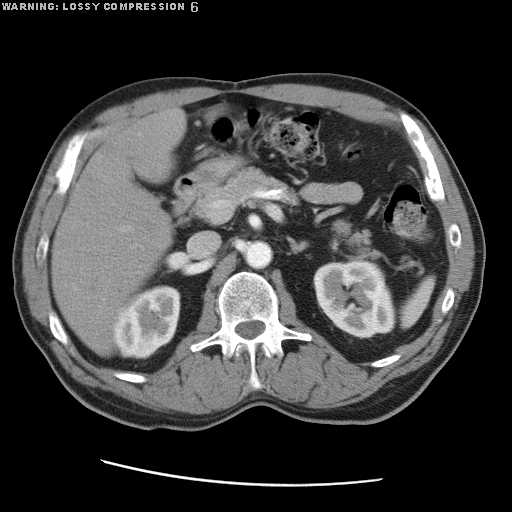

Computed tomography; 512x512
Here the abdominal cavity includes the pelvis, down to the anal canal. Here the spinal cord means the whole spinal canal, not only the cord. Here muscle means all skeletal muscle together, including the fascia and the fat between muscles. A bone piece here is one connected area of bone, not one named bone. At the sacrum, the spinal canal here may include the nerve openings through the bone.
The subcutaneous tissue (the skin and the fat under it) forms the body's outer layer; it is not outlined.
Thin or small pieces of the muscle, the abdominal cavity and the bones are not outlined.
The abdominal cavity is outlined by 230,93 400,128 442,220 448,261 431,319 413,341 372,361 350,361 298,318 283,271 274,268 275,289 250,270 232,273 218,293 208,282 195,329 152,372 94,365 78,351 52,304 47,254 85,161 150,112. The torso is outlined by 287,72 341,73 381,84 419,108 443,140 485,237 481,298 463,339 414,401 371,424 308,422 258,405 199,431 145,430 87,408 65,389 27,334 13,295 16,228 52,142 83,106 130,82 162,76 237,81. The muscle is outlined by 279,83 358,92 399,106 406,111 401,109 398,115 417,155 395,123 241,92 150,111 93,147 50,235 45,231 37,242 35,259 41,262 47,258 51,334 63,345 69,339 94,366 118,370 112,373 116,378 144,383 148,379 137,373 161,368 179,342 196,329 208,283 217,293 220,326 188,349 197,352 219,345 224,360 245,350 250,363 247,381 258,390 263,386 256,369 258,349 268,358 282,358 284,340 310,342 313,338 279,319 279,297 272,275 274,269 280,269 297,318 350,362 370,362 371,367 381,368 397,361 402,355 396,350 413,342 429,325 449,266 444,224 434,203 443,202 446,195 434,155 411,114 427,128 448,164 467,212 475,249 469,288 436,354 364,399 332,408 305,407 255,391 211,413 166,413 74,379 47,343 44,327 31,315 22,276 25,233 47,169 62,141 101,111 158,91 197,86 243,89; inner edges: 80,131 89,131 91,132 91,133 90,133 84,140 82,144 81,149 77,157 74,174 66,192 62,195 56,192 57,180 55,177 55,172 61,162 61,160 63,157 63,155 70,139 75,133, then 451,223 456,223 457,224 457,225 459,228 459,230 460,231 460,233 461,234 461,245 460,246 460,247 457,249 456,249 451,244 451,243 449,240 449,238 448,237 448,234 447,233 447,229, then 449,287 452,288 452,289 454,292 454,299 453,300 453,304 452,305 451,308 445,314 443,314 441,312 441,304 442,303 442,301 443,300 443,298 445,295 445,293 446,292 446,290. The bones appear in 9 outlined pieces: piece 1: 240,271 263,276 277,294 279,321 312,337 310,341 284,339 282,357 268,357 258,348 255,369 262,386 258,389 248,381 251,363 245,349 227,359 223,358 219,344 197,351 189,349 220,328 218,294 224,282 with a hole at 255,320 257,320 258,321 261,321 264,324 265,326 264,328 264,330 261,333 260,333 255,337 253,338 245,338 239,335 235,331 235,327 238,324 242,322 249,322 250,321 254,321; piece 2: 401,110 409,114 420,128 423,134 423,137 433,155 435,163 439,172 445,195 445,198 443,201 433,201 428,195 424,182 424,173 426,172 425,162 422,158 418,156 418,150 412,143 406,132 399,115 399,112; piece 3: 80,131 89,131 91,132 91,133 90,133 84,140 82,144 81,149 77,157 74,174 66,192 62,195 56,192 57,180 55,177 55,172 61,162 61,160 63,157 63,155 70,139 75,133; piece 4: 50,310 54,310 57,316 59,318 59,320 61,323 61,325 65,333 67,335 67,337 68,338 68,342 66,344 63,344 60,341 59,341 55,337 54,337 54,336 51,332 50,326 49,325 49,312; piece 5: 451,223 456,223 457,224 457,225 459,228 459,230 460,231 460,233 461,234 461,245 460,246 460,247 457,249 456,249 451,244 451,243 449,240 449,238 448,237 448,234 447,233 447,229; piece 6: 45,232 47,233 49,237 49,244 48,245 48,248 47,249 47,253 46,254 46,256 45,258 43,260 41,261 38,261 36,259 36,249 38,245 38,242 41,236; piece 7: 115,371 124,371 125,372 133,372 137,374 141,374 143,375 147,379 146,381 144,382 141,382 140,383 131,382 130,381 127,381 126,380 124,380 123,379 120,379 116,377 113,374 113,373; piece 8: 449,287 452,288 452,289 454,292 454,299 453,300 453,304 452,305 451,308 445,314 443,314 441,312 441,304 442,303 442,301 443,300 443,298 445,295 445,293 446,292 446,290; piece 9: 396,353 399,353 401,355 401,356 397,360 396,360 395,361 394,361 385,366 382,366 381,367 373,367 370,365 370,363 373,361 378,360 381,358 383,358 384,357 386,357 387,356 389,356 392,354 395,354. The spinal cord is outlined by 255,320 257,320 258,321 261,321 264,324 265,326 264,328 264,330 261,333 260,333 255,337 253,338 245,338 239,335 235,331 235,327 238,324 242,322 249,322 250,321 254,321.